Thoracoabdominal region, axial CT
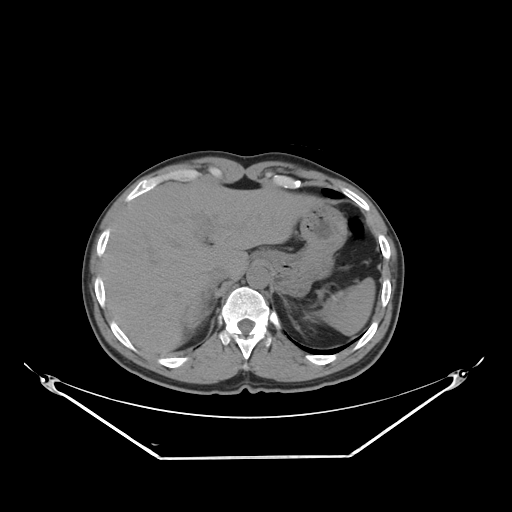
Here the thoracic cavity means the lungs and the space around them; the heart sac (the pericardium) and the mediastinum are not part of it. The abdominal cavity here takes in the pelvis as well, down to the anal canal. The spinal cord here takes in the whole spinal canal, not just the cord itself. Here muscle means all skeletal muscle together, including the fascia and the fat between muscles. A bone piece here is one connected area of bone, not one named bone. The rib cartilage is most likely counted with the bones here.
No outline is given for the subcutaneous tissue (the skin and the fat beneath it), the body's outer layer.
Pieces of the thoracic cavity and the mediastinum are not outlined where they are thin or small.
spinal cord: (243, 319) (248, 319) (249, 320) (250, 320) (251, 321) (252, 321) (254, 323) (254, 325) (253, 326) (253, 327) (248, 332) (248, 333) (246, 335) (243, 335) (243, 334) (242, 333) (242, 332) (241, 331) (241, 330) (238, 327) (238, 323) (241, 320) (242, 320)
torso: (204, 149) (240, 155) (268, 151) (299, 155) (348, 177) (378, 203) (400, 241) (405, 273) (393, 335) (368, 369) (350, 380) (312, 391) (251, 394) (243, 389) (235, 395) (199, 395) (146, 381) (102, 349) (87, 319) (81, 292) (84, 250) (98, 216) (141, 171) (172, 156)
bones 1: (241, 286) (259, 292) (270, 309) (276, 312) (281, 324) (279, 330) (270, 322) (268, 324) (271, 342) (266, 346) (261, 339) (255, 344) (246, 361) (246, 370) (242, 368) (245, 361) (239, 346) (233, 338) (225, 345) (222, 343) (219, 333) (224, 324) (217, 323) (229, 293) with a hole at (243, 319) (248, 319) (249, 320) (250, 320) (251, 321) (252, 321) (254, 323) (254, 325) (253, 326) (253, 327) (248, 332) (248, 333) (246, 335) (243, 335) (243, 334) (242, 333) (242, 332) (241, 331) (241, 330) (238, 327) (238, 323) (241, 320) (242, 320)
bones 2: (178, 169) (194, 169) (201, 173) (201, 176) (199, 176) (194, 179) (191, 179) (187, 181) (182, 181) (177, 179) (169, 179) (159, 183) (153, 188) (144, 193) (142, 193) (131, 200) (129, 201) (125, 201) (126, 196) (136, 186) (139, 181) (143, 179) (148, 179)
bones 3: (268, 171) (270, 171) (274, 174) (279, 174) (280, 175) (289, 176) (294, 179) (298, 179) (301, 181) (302, 185) (300, 187) (298, 187) (297, 188) (288, 188) (287, 187) (283, 187) (282, 186) (277, 185) (272, 182) (272, 179) (269, 176) (268, 177) (266, 176) (266, 173)
bones 4: (112, 320) (113, 320) (117, 324) (117, 325) (125, 334) (125, 335) (128, 338) (128, 339) (131, 342) (131, 343) (137, 349) (138, 352) (135, 352) (131, 349) (126, 347) (118, 340) (118, 339) (114, 335) (114, 334) (110, 327) (110, 325) (109, 324) (110, 321) (111, 321)
bones 5: (373, 320) (375, 320) (377, 321) (378, 322) (378, 324) (377, 325) (377, 328) (374, 334) (372, 336) (372, 337) (364, 345) (363, 345) (361, 347) (355, 350) (352, 350) (357, 340) (366, 331) (366, 330) (368, 328) (368, 327) (370, 325) (370, 324)
bones 6: (339, 186) (343, 186) (344, 187) (346, 187) (347, 188) (350, 189) (358, 195) (359, 195) (368, 204) (368, 205) (369, 206) (369, 210) (368, 211) (367, 211) (364, 209) (362, 209) (358, 205) (357, 205) (351, 199) (350, 199) (347, 196) (344, 195) (340, 191) (339, 191)
bones 7: (308, 353) (309, 354) (316, 354) (317, 355) (329, 355) (330, 354) (334, 354) (335, 353) (337, 353) (337, 356) (334, 360) (333, 360) (326, 364) (323, 364) (322, 365) (319, 365) (318, 364) (315, 364) (314, 363) (309, 361) (306, 358) (305, 358) (305, 355)
bones 8: (182, 356) (187, 356) (189, 358) (188, 359) (188, 360) (187, 360) (184, 363) (183, 363) (180, 366) (179, 366) (178, 367) (167, 367) (166, 366) (165, 366) (164, 365) (163, 365) (162, 364) (161, 364) (160, 363) (159, 363) (157, 361) (157, 359) (160, 357) (181, 357)
bones 9: (97, 276) (99, 276) (101, 277) (102, 279) (102, 281) (103, 282) (103, 286) (104, 287) (104, 291) (105, 292) (105, 307) (104, 308) (102, 308) (100, 306) (98, 302) (98, 300) (96, 297) (96, 294) (95, 293) (95, 290) (94, 289) (94, 282)
bones 10: (384, 278) (388, 278) (389, 279) (389, 280) (390, 281) (390, 284) (391, 285) (391, 291) (390, 292) (390, 296) (389, 297) (389, 299) (388, 300) (388, 301) (387, 302) (387, 304) (384, 307) (383, 307) (381, 305) (381, 289) (382, 288) (382, 281) (383, 280) (383, 279)
bones 11: (107, 228) (109, 228) (110, 229) (110, 231) (109, 232) (109, 236) (107, 240) (107, 243) (105, 246) (105, 249) (103, 252) (103, 254) (101, 256) (98, 256) (97, 255) (97, 252) (96, 251) (96, 249) (97, 248) (97, 242) (98, 241) (98, 239) (101, 233) (105, 229)
bones 12: (378, 234) (382, 234) (386, 238) (386, 239) (389, 244) (389, 247) (390, 248) (390, 257) (389, 258) (389, 259) (385, 259) (382, 255) (382, 253) (381, 252) (381, 249) (380, 248) (380, 246) (379, 245) (379, 243) (378, 242) (378, 238) (377, 237) (377, 235)
bones 13: (209, 166) (214, 166) (215, 167) (216, 167) (217, 168) (218, 168) (221, 171) (221, 172) (222, 173) (222, 176) (220, 178) (217, 178) (216, 177) (215, 177) (213, 175) (212, 175) (208, 171) (208, 167)
abdominal cavity: (244, 176) (325, 201) (350, 201) (363, 210) (382, 256) (373, 319) (345, 345) (318, 349) (295, 342) (272, 306) (272, 264) (259, 259) (231, 285) (217, 324) (198, 346) (159, 357) (138, 349) (112, 318) (102, 278) (102, 256) (120, 210) (169, 180) (202, 177) (232, 183)
thoracic cavity: (290, 339) (295, 343) (302, 346) (312, 349) (317, 349) (318, 350) (330, 350) (331, 349) (334, 349) (335, 348) (338, 348) (342, 346) (348, 345) (355, 340) (356, 340) (356, 341) (338, 352) (330, 353) (329, 354) (317, 354) (316, 353) (309, 353) (303, 350) (296, 345)
mediastinum 1: (259, 260) (266, 260) (271, 264) (271, 266) (272, 267) (272, 305) (271, 306) (272, 307) (272, 309) (271, 309) (270, 306) (268, 304) (265, 297) (259, 291) (247, 285) (241, 285) (233, 288) (228, 293) (227, 296) (227, 294) (230, 288) (237, 279) (246, 271) (251, 264)
mediastinum 2: (306, 186) (312, 186) (313, 187) (321, 188) (321, 193) (323, 194) (324, 196) (327, 196) (331, 198) (342, 198) (345, 196) (352, 201) (346, 200) (345, 199) (337, 200) (336, 201) (325, 200) (321, 197) (314, 194) (310, 194) (301, 191) (293, 190) (290, 189) (297, 189)
muscle: (205, 156) (216, 156) (217, 157) (222, 157) (230, 160) (233, 160) (239, 163) (245, 168) (255, 163) (261, 162) (262, 161) (268, 161) (269, 160) (277, 160) (278, 161) (284, 161) (285, 162) (293, 163) (307, 169) (312, 169) (313, 170) (319, 171) (326, 175) (328, 175) (334, 178) (337, 178) (352, 185) (360, 191) (372, 203) (382, 218) (395, 244) (395, 248) (397, 254) (398, 274) (397, 275) (396, 295) (395, 296) (393, 313) (386, 334) (385, 334) (362, 358) (358, 361) (335, 372) (327, 374) (324, 376) (321, 376) (308, 380) (304, 380) (303, 381) (292, 381) (291, 382) (277, 381) (273, 379) (258, 376) (250, 371) (243, 371) (242, 370) (236, 375) (230, 378) (221, 380) (215, 383) (200, 384) (199, 383) (190, 383) (189, 382) (176, 380) (162, 374) (160, 374) (157, 372) (155, 372) (152, 370) (150, 370) (145, 367) (143, 367) (122, 355) (107, 342) (102, 335) (94, 317) (93, 309) (88, 292) (88, 278) (87, 277) (87, 269) (88, 268) (91, 249) (94, 242) (94, 239) (98, 227) (102, 219) (115, 201) (131, 185) (140, 178) (168, 165) (182, 162) (186, 160) (204, 157), around holes outlined by (178, 169) (194, 169) (203, 178) (224, 183) (246, 176) (262, 184) (272, 182) (266, 176) (270, 171) (298, 179) (302, 187) (338, 192) (343, 186) (359, 195) (369, 206) (363, 211) (375, 235) (382, 234) (390, 248) (390, 257) (382, 258) (381, 267) (381, 279) (390, 281) (390, 296) (384, 307) (379, 301) (372, 337) (355, 350) (355, 343) (350, 344) (334, 360) (319, 365) (305, 358) (308, 353) (270, 322) (271, 342) (266, 346) (261, 339) (255, 344) (246, 370) (235, 340) (225, 345) (219, 337) (223, 323) (216, 324) (198, 346) (170, 355) (189, 358) (178, 367) (167, 367) (157, 356) (135, 352) (121, 343) (110, 327) (112, 316) (106, 306) (100, 306) (94, 289) (96, 277) (102, 276) (97, 242) (112, 227) (139, 181) and by (209, 166) (214, 166) (215, 167) (216, 167) (217, 168) (218, 168) (221, 171) (221, 172) (222, 173) (222, 176) (220, 178) (217, 178) (216, 177) (215, 177) (213, 175) (212, 175) (208, 171) (208, 167)